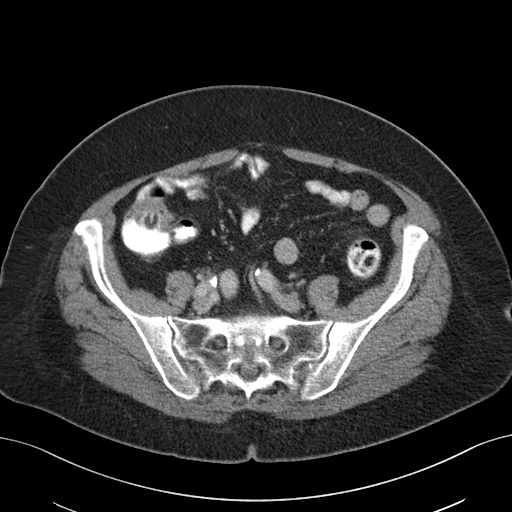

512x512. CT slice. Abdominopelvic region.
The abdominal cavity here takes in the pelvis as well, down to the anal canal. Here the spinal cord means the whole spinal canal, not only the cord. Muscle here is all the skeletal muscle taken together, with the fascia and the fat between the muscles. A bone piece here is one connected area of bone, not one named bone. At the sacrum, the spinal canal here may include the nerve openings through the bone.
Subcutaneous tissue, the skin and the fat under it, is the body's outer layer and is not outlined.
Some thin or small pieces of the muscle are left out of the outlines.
Outlined structures:
abdominal cavity: 255 148; 369 174; 399 197; 406 211; 390 225; 394 246; 383 280; 339 305; 339 278; 316 276; 306 297; 317 319; 256 312; 180 316; 194 289; 194 278; 183 269; 167 273; 165 297; 131 288; 112 243; 118 201; 150 178; 184 176
torso: 232 83; 302 89; 362 107; 415 136; 457 175; 493 227; 510 269; 511 378; 498 392; 426 427; 362 449; 300 461; 258 462; 251 458; 233 464; 178 458; 128 446; 0 394; 0 266; 16 221; 31 194; 77 143; 118 114; 177 91
muscle: 248 141; 316 152; 373 169; 399 181; 432 208; 441 224; 439 244; 451 276; 452 298; 428 370; 389 393; 332 415; 286 420; 245 409; 221 423; 207 423; 165 414; 107 387; 81 368; 78 356; 82 350; 74 341; 74 328; 61 315; 54 289; 59 258; 74 225; 72 233; 86 250; 99 290; 131 323; 164 385; 188 401; 216 381; 243 391; 247 400; 255 391; 268 389; 275 382; 281 382; 290 391; 299 389; 302 400; 312 401; 326 395; 338 385; 369 331; 406 294; 416 260; 430 237; 423 227; 408 222; 401 230; 397 280; 380 305; 354 321; 318 318; 308 301; 309 283; 324 274; 337 277; 339 306; 346 306; 365 289; 380 284; 394 253; 391 225; 407 208; 387 184; 369 173; 344 172; 288 157; 279 150; 255 147; 184 175; 150 177; 117 201; 112 208; 115 227; 111 243; 127 285; 165 298; 168 273; 183 270; 193 278; 193 289; 177 315; 148 315; 127 305; 107 273; 102 221; 90 217; 76 223; 80 215; 102 195; 134 178
spinal cord 1: 249 360; 251 360; 253 362; 254 362; 257 364; 263 364; 264 365; 264 368; 258 373; 257 376; 253 380; 245 380; 239 374; 239 372; 238 371; 235 371; 232 369; 232 365; 233 364; 240 364; 242 362; 244 362; 245 361; 248 361
spinal cord 2: 219 334; 221 334; 224 337; 224 340; 226 342; 226 346; 225 347; 224 347; 223 348; 211 348; 210 347; 209 347; 208 346; 208 344; 209 343; 209 342; 211 340; 212 340; 217 335; 218 335
spinal cord 3: 270 337; 271 337; 272 338; 273 337; 276 337; 277 338; 278 338; 283 343; 283 347; 282 348; 281 348; 280 349; 276 349; 274 347; 272 347; 270 345; 270 344; 269 343; 269 338
bones: 90 218; 102 223; 104 266; 122 301; 139 314; 188 319; 256 313; 361 320; 398 280; 403 227; 415 224; 429 237; 407 291; 368 331; 331 391; 307 400; 275 381; 247 399; 216 380; 188 400; 165 385; 132 323; 97 285; 73 233 with holes at 249 360; 251 360; 253 362; 254 362; 257 364; 263 364; 264 365; 264 368; 258 373; 257 376; 253 380; 245 380; 239 374; 239 372; 238 371; 235 371; 232 369; 232 365; 233 364; 240 364; 242 362; 244 362; 245 361; 248 361 and at 219 334; 221 334; 224 337; 224 340; 226 342; 226 346; 225 347; 224 347; 223 348; 211 348; 210 347; 209 347; 208 346; 208 344; 209 343; 209 342; 211 340; 212 340; 217 335; 218 335 and at 270 337; 271 337; 272 338; 273 337; 276 337; 277 338; 278 338; 283 343; 283 347; 282 348; 281 348; 280 349; 276 349; 274 347; 272 347; 270 345; 270 344; 269 343; 269 338